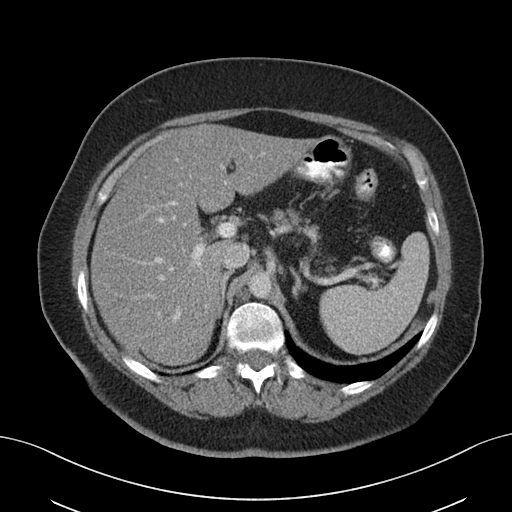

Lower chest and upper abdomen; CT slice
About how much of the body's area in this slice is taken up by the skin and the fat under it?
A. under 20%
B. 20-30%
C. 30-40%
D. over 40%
C. 30-40%
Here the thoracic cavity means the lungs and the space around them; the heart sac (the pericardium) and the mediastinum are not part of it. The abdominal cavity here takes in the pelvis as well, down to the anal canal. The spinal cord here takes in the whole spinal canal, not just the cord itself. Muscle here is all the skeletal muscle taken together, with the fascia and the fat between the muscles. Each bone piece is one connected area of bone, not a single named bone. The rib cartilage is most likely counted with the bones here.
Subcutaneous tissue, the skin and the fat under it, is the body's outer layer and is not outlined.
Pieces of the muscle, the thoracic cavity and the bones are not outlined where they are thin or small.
Outlines (x, y in pixels):
torso: [[240,56],[330,63],[373,75],[398,87],[423,105],[442,125],[465,169],[484,251],[481,309],[473,348],[416,423],[357,447],[301,457],[224,458],[163,445],[134,429],[92,394],[42,312],[37,278],[38,236],[96,116],[117,95],[156,71],[196,60]]
abdominal cavity: [[254,111],[280,112],[331,127],[409,166],[425,208],[435,257],[432,312],[421,332],[391,353],[336,365],[296,345],[271,306],[247,301],[230,314],[227,341],[211,364],[182,374],[157,373],[119,349],[96,316],[87,266],[96,219],[151,145],[183,129]]
bones 1: [[247,302],[260,302],[271,307],[281,320],[284,334],[284,344],[274,359],[280,369],[282,384],[278,382],[275,376],[268,377],[263,381],[259,394],[256,393],[249,379],[236,374],[236,364],[241,358],[236,350],[227,343],[226,333],[230,316],[237,307]]; inner edge: [[251,349],[259,349],[260,350],[262,350],[263,351],[266,351],[269,354],[269,355],[270,356],[270,360],[269,361],[269,362],[262,368],[261,368],[258,370],[256,370],[255,369],[252,368],[246,362],[244,362],[242,359],[242,355],[245,352],[246,352]]
bones 2: [[156,137],[159,137],[153,141],[147,147],[143,149],[121,172],[121,173],[116,178],[109,192],[108,197],[101,205],[99,205],[96,201],[96,196],[99,189],[107,178],[115,169],[119,168],[123,164],[126,159],[133,151],[137,149],[147,141]]
bones 3: [[404,148],[412,150],[415,153],[417,158],[421,162],[421,164],[423,167],[424,172],[428,179],[428,187],[425,191],[421,190],[416,182],[416,180],[414,176],[414,173],[412,170],[412,167],[410,163],[408,161],[407,158],[403,153],[403,149]]
bones 4: [[123,355],[126,355],[131,358],[133,358],[139,361],[142,364],[143,364],[145,366],[149,368],[159,376],[159,377],[161,379],[161,382],[159,382],[158,383],[154,382],[145,377],[143,377],[139,375],[137,373],[131,370],[123,361],[122,359],[122,356]]
bones 5: [[433,312],[436,312],[437,313],[437,316],[438,317],[437,318],[437,322],[434,328],[434,330],[430,336],[429,339],[420,348],[418,349],[415,349],[414,348],[414,346],[417,343],[418,340],[420,338],[422,331],[426,326],[427,324],[427,321]]
bones 6: [[80,270],[83,270],[83,271],[84,272],[84,277],[85,278],[85,281],[86,282],[86,287],[87,288],[87,307],[88,308],[88,310],[86,312],[83,309],[83,308],[78,299],[78,296],[77,295],[77,278],[78,277],[78,274],[79,273],[79,271]]
bones 7: [[283,351],[285,351],[287,354],[289,354],[295,361],[295,362],[306,372],[306,376],[305,377],[303,378],[295,378],[294,377],[292,377],[288,373],[287,371],[287,369],[286,368],[286,366],[284,363],[284,357],[285,355],[283,353]]
bones 8: [[363,380],[374,380],[374,383],[371,386],[370,386],[368,388],[365,389],[361,392],[359,392],[355,394],[350,394],[349,395],[345,395],[341,391],[339,390],[340,388],[341,388],[343,386],[347,384],[350,384],[354,382],[357,382],[358,381],[362,381]]
bones 9: [[218,364],[221,364],[223,365],[223,369],[216,376],[214,377],[211,377],[210,378],[201,378],[200,377],[197,377],[193,375],[193,373],[196,370],[198,370],[201,368],[203,368],[209,365],[217,365]]
bones 10: [[429,206],[431,206],[434,209],[434,210],[436,213],[436,215],[437,216],[437,219],[438,220],[438,225],[439,226],[439,233],[438,234],[438,235],[436,235],[433,232],[432,229],[430,227],[429,224],[427,222],[427,214],[426,213],[426,208]]
spinal cord: [[251,349],[259,349],[260,350],[262,350],[263,351],[266,351],[269,354],[269,355],[270,356],[270,360],[269,361],[269,362],[262,368],[261,368],[258,370],[256,370],[255,369],[252,368],[246,362],[244,362],[242,359],[242,355],[245,352],[246,352]]
muscle 1: [[258,106],[292,108],[293,109],[299,109],[303,111],[313,111],[340,116],[344,118],[348,118],[372,125],[392,136],[396,136],[404,139],[415,145],[421,151],[427,160],[437,182],[442,197],[443,211],[450,236],[451,260],[452,261],[451,264],[452,265],[451,285],[446,295],[446,300],[441,323],[433,340],[432,345],[427,354],[415,367],[400,377],[381,393],[372,396],[365,402],[351,408],[342,413],[339,416],[321,422],[302,423],[297,420],[290,420],[274,416],[265,410],[259,411],[255,409],[245,410],[243,413],[235,416],[221,417],[220,418],[211,417],[206,420],[191,418],[173,410],[161,401],[158,400],[145,389],[136,384],[127,376],[120,372],[104,358],[102,354],[96,348],[96,346],[90,340],[90,338],[84,327],[84,324],[81,317],[81,313],[77,307],[77,301],[75,298],[74,289],[71,283],[72,239],[74,236],[74,230],[76,227],[78,218],[84,205],[84,202],[86,200],[86,196],[98,173],[106,163],[122,147],[139,134],[174,117],[183,116],[193,113],[214,111],[220,109],[257,107]] with a hole at [[254,111],[280,112],[331,127],[411,169],[403,149],[412,150],[428,179],[427,189],[420,189],[419,195],[425,208],[434,209],[439,226],[436,235],[426,223],[437,273],[432,309],[437,322],[420,348],[413,346],[361,392],[345,395],[339,390],[346,383],[308,372],[303,378],[292,377],[284,363],[283,351],[289,353],[284,344],[274,359],[282,384],[275,376],[268,377],[259,394],[249,379],[236,374],[241,358],[227,343],[211,364],[223,365],[216,376],[159,374],[161,382],[157,383],[134,372],[123,361],[126,353],[100,325],[89,291],[86,312],[78,299],[79,271],[83,270],[88,287],[88,247],[102,207],[96,196],[114,170],[151,139],[159,137],[152,145],[177,131]]
muscle 2: [[146,148],[147,148],[147,149],[146,149],[145,150],[145,151],[140,157],[140,158],[136,162],[136,163],[124,177],[124,178],[121,181],[121,182],[110,194],[110,192],[111,191],[117,178],[122,173],[122,172],[132,162],[132,161],[143,150],[144,150]]
thoracic cavity: [[284,331],[286,331],[289,334],[295,345],[306,354],[322,362],[336,366],[351,366],[379,360],[403,346],[418,333],[421,333],[416,343],[395,364],[378,377],[374,379],[363,379],[350,383],[344,383],[322,379],[312,375],[300,366],[288,352],[285,345]]